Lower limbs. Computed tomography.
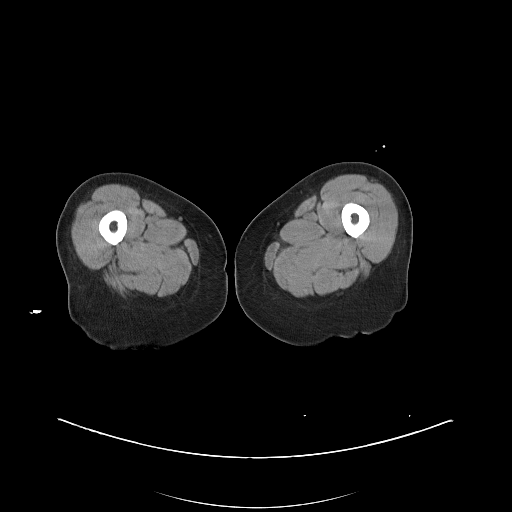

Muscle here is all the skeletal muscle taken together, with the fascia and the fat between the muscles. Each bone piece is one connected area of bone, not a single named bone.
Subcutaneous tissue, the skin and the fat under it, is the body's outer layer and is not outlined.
Outlines (x, y in pixels):
left leg: 342 161; 368 162; 384 169; 397 181; 408 199; 413 217; 413 242; 408 268; 407 303; 388 326; 373 334; 359 334; 353 338; 335 337; 315 346; 292 345; 262 330; 240 307; 234 285; 235 248; 246 226; 264 207; 311 172; 325 165
bones 1: 114 209; 118 209; 124 212; 126 216; 126 218; 127 219; 127 229; 126 230; 126 232; 123 238; 117 244; 115 245; 110 244; 107 241; 106 241; 100 234; 99 232; 99 230; 98 229; 98 224; 102 216; 107 212; 111 210; 113 210
bones 2: 348 202; 354 202; 355 203; 357 203; 363 206; 367 210; 369 214; 369 224; 367 228; 358 237; 356 238; 354 237; 352 237; 345 231; 343 227; 342 222; 341 221; 341 210; 344 204
muscle 1: 347 173; 370 175; 384 182; 389 187; 397 203; 398 226; 396 238; 392 250; 385 262; 378 267; 349 296; 344 299; 325 304; 317 309; 307 309; 294 302; 265 275; 259 262; 260 250; 271 228; 281 216; 305 198; 322 182; 338 175; inner edge: 348 202; 354 202; 355 203; 357 203; 363 206; 367 210; 369 214; 369 224; 367 228; 358 237; 356 238; 354 237; 352 237; 345 231; 343 227; 342 222; 341 221; 341 210; 344 204
muscle 2: 108 183; 119 183; 128 185; 138 191; 152 195; 164 201; 184 214; 190 220; 196 231; 198 248; 200 253; 198 288; 179 302; 164 311; 130 304; 116 292; 113 292; 94 276; 77 260; 74 255; 69 233; 71 217; 81 201; 97 185, around a hole outlined by 114 209; 118 209; 124 212; 126 216; 126 218; 127 219; 127 229; 126 230; 126 232; 123 238; 117 244; 115 245; 110 244; 107 241; 106 241; 100 234; 99 232; 99 230; 98 229; 98 224; 102 216; 107 212; 111 210; 113 210
right leg: 109 171; 123 171; 144 176; 185 197; 201 208; 214 221; 225 242; 228 295; 223 310; 215 320; 201 331; 163 349; 148 351; 110 350; 89 339; 71 320; 68 313; 68 287; 56 250; 56 225; 58 218; 67 198; 80 183; 93 175